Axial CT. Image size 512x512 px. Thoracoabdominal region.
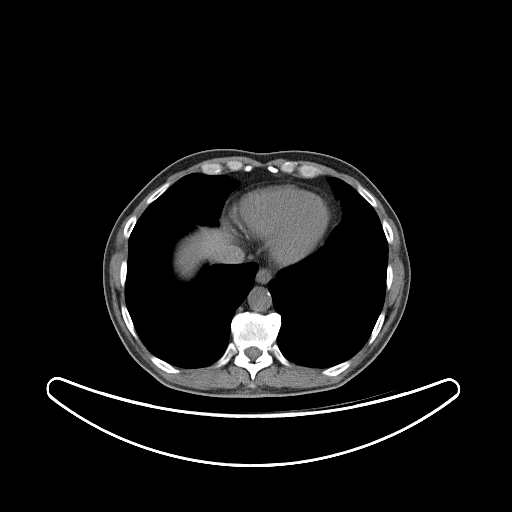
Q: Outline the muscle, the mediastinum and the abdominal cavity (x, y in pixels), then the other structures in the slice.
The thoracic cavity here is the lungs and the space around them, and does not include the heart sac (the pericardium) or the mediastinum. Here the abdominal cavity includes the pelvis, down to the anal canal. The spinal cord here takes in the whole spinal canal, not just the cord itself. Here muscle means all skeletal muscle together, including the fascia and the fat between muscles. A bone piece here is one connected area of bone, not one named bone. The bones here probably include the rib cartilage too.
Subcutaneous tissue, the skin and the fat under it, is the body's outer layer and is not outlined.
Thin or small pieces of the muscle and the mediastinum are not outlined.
A: The muscle appears in 3 outlined pieces: piece 1: (153, 190) (146, 199) (145, 204) (147, 206) (139, 217) (132, 214) (123, 226) (122, 235) (127, 240) (127, 256) (120, 262) (119, 266) (119, 281) (121, 287) (124, 288) (125, 301) (125, 304) (120, 305) (120, 312) (131, 335) (138, 342) (140, 340) (151, 353) (149, 356) (151, 362) (166, 373) (178, 374) (181, 371) (178, 368) (195, 369) (212, 364) (215, 368) (219, 368) (232, 360) (235, 366) (244, 368) (249, 373) (250, 382) (248, 386) (254, 388) (257, 372) (270, 366) (274, 360) (286, 367) (293, 363) (299, 366) (322, 369) (321, 373) (329, 377) (336, 376) (347, 369) (352, 362) (350, 359) (366, 343) (370, 345) (381, 330) (386, 317) (386, 311) (382, 309) (385, 294) (390, 289) (394, 277) (393, 267) (388, 263) (388, 245) (394, 242) (394, 234) (388, 221) (385, 218) (380, 220) (375, 210) (378, 206) (375, 197) (396, 227) (400, 243) (399, 255) (404, 269) (400, 303) (388, 329) (368, 355) (340, 380) (330, 384) (305, 388) (263, 386) (245, 389) (241, 385) (234, 388) (199, 389) (167, 380) (142, 358) (122, 330) (113, 309) (109, 281) (109, 257) (118, 230) (137, 205); piece 2: (228, 156) (245, 156) (260, 162) (266, 162) (270, 160) (282, 158) (287, 160) (283, 161) (278, 166) (269, 164) (266, 168) (263, 167) (256, 167) (254, 168) (251, 164) (248, 163) (246, 164) (241, 160) (238, 159) (230, 159) (227, 160) (224, 163) (220, 162) (209, 162) (208, 161) (204, 162) (200, 166) (200, 171) (188, 173) (180, 177) (172, 184) (170, 181) (165, 181) (170, 175) (181, 170) (186, 169) (199, 162) (212, 158) (227, 157); piece 3: (298, 160) (311, 161) (312, 162) (315, 162) (327, 166) (336, 170) (338, 172) (345, 173) (355, 178) (360, 183) (358, 183) (355, 186) (355, 188) (347, 182) (338, 177) (330, 176) (329, 175) (321, 175) (322, 174) (322, 170) (319, 167) (312, 164) (299, 163) (297, 161). The mediastinum appears in 2 outlined pieces: piece 1: (242, 245) (253, 248) (256, 254) (261, 254) (272, 266) (276, 269) (280, 269) (267, 284) (272, 299) (274, 311) (266, 314) (248, 310) (236, 312) (238, 307) (253, 287) (255, 275) (258, 269) (258, 265) (253, 261) (240, 262) (243, 255) (242, 248) (240, 246); piece 2: (256, 168) (263, 168) (274, 174) (282, 172) (302, 178) (329, 176) (328, 182) (342, 209) (340, 221) (336, 225) (336, 210) (323, 191) (313, 185) (289, 178) (263, 179) (246, 185) (231, 197) (220, 221) (224, 204) (238, 185) (235, 178) (222, 173) (240, 170) (250, 172). The abdominal cavity is outlined by (220, 222) (221, 225) (228, 232) (231, 233) (231, 235) (241, 244) (239, 246) (241, 248) (242, 255) (239, 263) (215, 263) (211, 265) (206, 265) (191, 281) (188, 282) (179, 281) (174, 276) (171, 266) (172, 251) (177, 240) (192, 230) (197, 225) (218, 226). The torso is outlined by (214, 148) (254, 152) (307, 150) (340, 158) (365, 174) (397, 215) (411, 268) (406, 306) (380, 353) (340, 387) (301, 395) (259, 398) (212, 397) (188, 393) (160, 383) (132, 358) (120, 340) (106, 307) (102, 284) (103, 254) (111, 229) (126, 205) (162, 169) (186, 155). The bones appear in 13 outlined pieces: piece 1: (245, 311) (263, 315) (276, 312) (280, 315) (281, 324) (275, 341) (281, 353) (290, 362) (290, 365) (286, 366) (274, 359) (270, 365) (258, 370) (253, 380) (254, 387) (249, 386) (250, 373) (244, 367) (235, 365) (232, 359) (219, 367) (214, 366) (232, 339) (233, 316); inner edge: (250, 347) (256, 347) (259, 350) (260, 350) (260, 351) (261, 352) (260, 353) (260, 354) (259, 355) (259, 356) (258, 356) (254, 360) (251, 360) (247, 356) (247, 355) (245, 353) (245, 350) (247, 348) (249, 348); piece 2: (288, 160) (290, 161) (296, 161) (299, 164) (307, 164) (308, 165) (315, 166) (321, 170) (321, 174) (315, 177) (302, 177) (295, 171) (292, 173) (286, 173) (282, 171) (278, 171) (275, 173) (271, 172) (267, 169) (267, 167) (269, 165) (272, 165) (278, 167) (280, 164); piece 3: (230, 160) (238, 160) (241, 161) (246, 165) (247, 164) (251, 165) (253, 167) (253, 169) (250, 171) (245, 171) (242, 169) (231, 171) (225, 167) (222, 172) (219, 174) (206, 174) (201, 172) (201, 166) (204, 163) (208, 162) (209, 163) (220, 163) (224, 164) (227, 161); piece 4: (349, 359) (351, 361) (350, 365) (347, 368) (346, 368) (343, 371) (340, 372) (338, 374) (334, 375) (333, 376) (329, 376) (328, 375) (325, 375) (322, 373) (323, 369) (325, 369) (326, 368) (328, 368) (329, 367) (337, 365); piece 5: (151, 355) (154, 355) (156, 357) (163, 360) (165, 362) (179, 369) (180, 371) (178, 373) (169, 373) (168, 372) (166, 372) (164, 370) (158, 367) (154, 363) (152, 362) (152, 361) (150, 359) (150, 356); piece 6: (122, 304) (124, 304) (127, 308) (127, 310) (129, 313) (129, 315) (133, 323) (133, 326) (134, 327) (134, 329) (139, 338) (139, 341) (138, 341) (132, 335) (132, 334) (130, 332) (129, 329) (127, 327) (124, 321) (124, 319) (122, 316) (122, 313) (121, 312) (121, 305); piece 7: (382, 310) (385, 311) (385, 317) (384, 318) (383, 323) (381, 326) (381, 328) (378, 332) (377, 335) (373, 340) (373, 341) (370, 344) (368, 344) (367, 343) (367, 342) (370, 337) (371, 332) (372, 331) (372, 330) (374, 327) (374, 325) (375, 324) (380, 313) (382, 311); piece 8: (358, 184) (360, 184) (362, 186) (363, 186) (374, 197) (374, 198) (375, 199) (375, 200) (376, 201) (376, 203) (377, 204) (377, 206) (375, 208) (374, 208) (357, 191) (357, 190) (356, 189) (356, 186); piece 9: (165, 182) (170, 182) (170, 183) (171, 184) (169, 186) (169, 187) (168, 187) (167, 188) (167, 189) (156, 199) (155, 199) (152, 202) (151, 202) (148, 205) (147, 205) (146, 204) (146, 201) (147, 200) (147, 199) (156, 189) (157, 189) (162, 184) (163, 184); piece 10: (132, 215) (135, 215) (136, 216) (137, 219) (136, 220) (136, 222) (135, 223) (135, 224) (130, 233) (130, 235) (129, 236) (128, 239) (126, 239) (124, 237) (124, 236) (123, 235) (123, 230) (124, 229) (124, 226) (125, 225) (126, 222) (128, 220) (128, 219); piece 11: (383, 219) (385, 219) (387, 221) (387, 222) (389, 224) (391, 228) (391, 230) (393, 234) (393, 242) (390, 244) (388, 244) (387, 242) (387, 240) (386, 239) (386, 237) (385, 236) (385, 234) (384, 233) (384, 231) (382, 227) (382, 223) (381, 221); piece 12: (123, 260) (126, 260) (126, 263) (127, 264) (127, 271) (126, 272) (126, 277) (125, 278) (125, 283) (124, 284) (124, 287) (122, 287) (122, 286) (121, 285) (121, 282) (120, 281) (120, 266) (121, 265) (121, 262); piece 13: (388, 264) (390, 264) (391, 265) (391, 266) (392, 267) (392, 272) (393, 273) (393, 277) (392, 278) (392, 281) (391, 282) (391, 284) (390, 285) (390, 287) (389, 288) (389, 289) (388, 290) (386, 290) (386, 272) (387, 271) (387, 265). The thoracic cavity appears in 2 outlined pieces: piece 1: (198, 172) (225, 175) (237, 185) (223, 204) (218, 225) (197, 224) (176, 240) (170, 258) (173, 276) (188, 283) (215, 264) (253, 262) (257, 269) (231, 318) (231, 339) (223, 353) (209, 365) (185, 368) (144, 345) (126, 305) (125, 284) (128, 240) (137, 220) (171, 185); piece 2: (329, 177) (335, 177) (347, 183) (374, 209) (387, 243) (387, 264) (382, 308) (367, 341) (350, 358) (325, 368) (318, 368) (291, 362) (279, 348) (276, 341) (282, 318) (275, 311) (268, 284) (279, 270) (299, 262) (321, 247) (332, 230) (341, 221) (343, 209) (329, 182). The pericardium is outlined by (275, 179) (289, 179) (319, 189) (329, 198) (335, 210) (335, 225) (329, 230) (323, 243) (306, 257) (291, 265) (282, 268) (276, 268) (261, 253) (256, 253) (253, 247) (240, 243) (232, 235) (232, 233) (222, 225) (221, 221) (226, 206) (236, 193) (252, 183) (263, 180). The spinal cord is outlined by (250, 347) (256, 347) (259, 350) (260, 350) (260, 351) (261, 352) (260, 353) (260, 354) (259, 355) (259, 356) (258, 356) (254, 360) (251, 360) (247, 356) (247, 355) (245, 353) (245, 350) (247, 348) (249, 348).